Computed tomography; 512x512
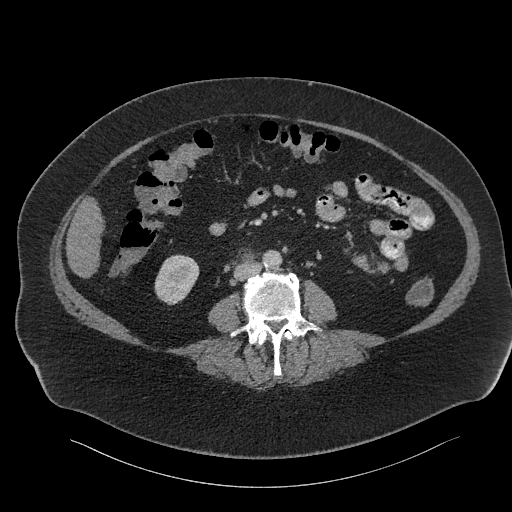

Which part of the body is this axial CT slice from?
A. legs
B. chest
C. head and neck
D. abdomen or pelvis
Answer: D. abdomen or pelvis
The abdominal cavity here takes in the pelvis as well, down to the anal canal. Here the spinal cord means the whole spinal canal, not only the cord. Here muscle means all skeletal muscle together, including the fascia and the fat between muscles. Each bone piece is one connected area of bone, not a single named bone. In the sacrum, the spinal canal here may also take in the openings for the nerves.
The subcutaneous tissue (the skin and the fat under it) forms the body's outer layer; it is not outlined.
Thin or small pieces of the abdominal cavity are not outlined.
{"bones":[{"outer":[[265,271],[296,274],[300,285],[301,314],[322,329],[321,332],[308,330],[302,337],[282,340],[279,376],[273,373],[273,345],[269,339],[260,345],[256,343],[251,345],[244,331],[230,336],[232,331],[248,320],[242,306],[244,283],[250,277]],"hole":[[284,320],[285,320],[285,322],[283,324],[283,325],[280,328],[280,329],[278,331],[277,331],[276,332],[275,332],[274,331],[273,331],[271,329],[271,328],[270,327],[270,326],[265,322],[265,321],[277,321],[278,322],[280,322],[281,321],[283,321]]}],"spinal_cord":[[[284,320],[285,320],[285,322],[283,324],[283,325],[280,328],[280,329],[278,331],[277,331],[276,332],[275,332],[274,331],[273,331],[271,329],[271,328],[270,327],[270,326],[265,322],[265,321],[277,321],[278,322],[280,322],[281,321],[283,321]]],"muscle":[{"outer":[[228,112],[233,113],[237,112],[259,112],[260,113],[272,113],[280,115],[287,115],[292,117],[298,116],[305,119],[325,122],[352,129],[375,138],[389,146],[404,157],[415,163],[417,163],[425,170],[435,176],[462,201],[473,220],[479,237],[480,263],[478,268],[478,273],[475,282],[471,286],[471,288],[465,298],[465,302],[448,317],[429,328],[374,347],[371,350],[371,356],[369,359],[363,363],[360,363],[348,369],[345,373],[323,381],[316,381],[300,387],[291,387],[282,383],[277,383],[274,386],[263,391],[248,388],[238,383],[231,384],[220,380],[212,380],[205,374],[197,371],[194,368],[190,368],[186,363],[186,358],[183,356],[170,353],[151,351],[138,345],[134,345],[113,338],[107,334],[104,334],[98,330],[82,324],[75,317],[69,314],[65,310],[54,291],[54,287],[51,282],[51,278],[49,274],[48,264],[49,263],[49,247],[52,238],[61,218],[74,199],[85,189],[99,171],[112,158],[126,148],[133,145],[136,142],[148,136],[155,134],[161,130],[167,129],[183,122]],"hole":[[236,116],[369,143],[443,198],[465,259],[428,315],[390,336],[331,327],[333,299],[303,279],[301,314],[322,331],[283,339],[276,376],[269,339],[230,336],[248,320],[240,291],[207,312],[219,334],[162,347],[74,287],[62,241],[82,199],[144,145]]}],"torso":[[[242,76],[313,80],[364,93],[433,127],[470,160],[499,217],[511,285],[511,349],[484,398],[454,406],[359,445],[276,459],[222,457],[165,446],[87,414],[59,407],[47,398],[14,327],[20,287],[16,230],[28,191],[68,143],[117,106],[175,84]]],"abdominal_cavity":[[[236,116],[305,123],[369,143],[443,198],[462,228],[465,259],[428,315],[390,336],[331,327],[338,312],[319,285],[300,284],[293,271],[265,270],[243,283],[242,295],[234,291],[207,312],[219,334],[162,347],[74,287],[62,241],[82,199],[144,145]]]}